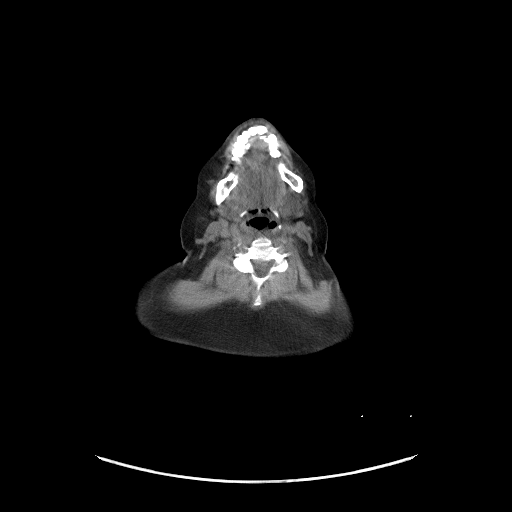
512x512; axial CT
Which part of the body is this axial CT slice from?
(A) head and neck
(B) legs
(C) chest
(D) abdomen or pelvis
(A) head and neck
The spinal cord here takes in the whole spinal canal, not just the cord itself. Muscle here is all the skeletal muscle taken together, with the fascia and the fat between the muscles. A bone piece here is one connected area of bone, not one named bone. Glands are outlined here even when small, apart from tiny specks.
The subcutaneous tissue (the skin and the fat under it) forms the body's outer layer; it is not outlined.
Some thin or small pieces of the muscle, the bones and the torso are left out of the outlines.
The head and neck is outlined by 251,117 263,117 270,121 308,164 316,183 315,200 327,222 326,258 337,275 338,302 327,336 320,347 311,355 246,357 220,354 205,348 176,276 177,261 185,256 180,241 180,224 196,194 198,171 229,132 with a hole at 255,208 268,208 277,218 279,218 277,221 277,228 274,230 272,230 271,232 266,232 265,231 259,233 252,232 248,230 246,228 244,222 242,220 243,219 242,217 247,213 248,211 247,210 250,210. The torso appears in 2 outlined pieces: piece 1: 176,261 175,264 175,276 184,297 184,299 187,304 203,346 205,349 213,352 204,351 181,345 177,345 156,339 143,331 139,327 134,318 134,316 132,313 131,305 132,304 134,293 139,282 145,277; piece 2: 338,277 340,280 340,283 342,287 350,299 355,310 356,316 357,317 357,321 358,322 358,329 355,335 354,335 349,341 346,342 344,344 314,354 321,347 328,336 332,328 337,313 338,303 339,302 339,280. The muscle is outlined by 257,121 269,126 277,134 304,176 307,183 309,213 317,232 313,247 315,261 317,268 326,279 331,280 341,297 342,305 340,309 324,316 312,316 286,302 272,302 259,310 252,310 243,304 230,302 201,312 184,314 169,311 157,302 150,301 152,294 160,292 172,280 187,276 192,269 197,255 194,224 206,203 208,191 206,181 233,135 243,126 with holes at 262,235 270,238 275,246 282,244 283,250 290,255 286,257 287,269 283,272 274,272 272,277 261,286 261,305 253,306 256,294 255,285 248,273 239,272 232,266 236,252 233,247 239,242 248,246 255,238 and at 257,124 266,126 270,132 275,134 277,137 279,144 278,148 281,155 278,158 272,157 269,153 267,145 262,140 256,138 241,157 240,162 235,162 231,159 232,153 230,144 235,140 236,135 238,135 248,127 and at 255,208 268,208 269,209 273,208 275,209 278,213 278,217 279,218 277,221 277,228 274,230 272,230 271,232 266,232 265,231 259,233 252,232 248,230 242,220 243,219 240,216 240,213 244,210 250,210 and at 230,171 233,171 238,174 238,181 237,182 236,185 230,191 229,194 223,200 223,201 219,205 217,205 215,203 215,194 216,193 216,184 217,183 217,182 220,179 221,179 222,178 225,177 228,174 228,173 and at 280,160 281,160 284,163 284,164 291,171 297,174 302,179 303,181 303,189 301,191 301,192 299,193 293,190 290,187 290,186 281,178 280,176 280,174 277,169 277,163 and at 289,199 295,199 296,200 296,201 299,204 299,208 298,209 297,209 295,211 293,211 290,214 286,214 285,213 285,212 282,209 282,207 284,205 283,204 283,203 285,201 286,201 287,200 288,200. The bones appear in 4 outlined pieces: piece 1: 262,235 270,238 275,246 282,244 283,250 290,255 286,257 287,269 283,272 274,272 272,277 261,286 261,305 253,306 256,294 255,285 248,273 239,272 232,266 236,252 233,247 239,242 248,246 255,238 with a hole at 254,260 261,260 262,261 272,261 273,263 270,266 267,272 264,275 262,276 259,276 256,274 255,272 255,270 254,269 254,266 252,262 252,261; piece 2: 257,124 266,126 270,132 275,134 277,137 279,144 278,148 281,155 278,158 272,157 269,153 267,145 262,140 256,138 241,157 240,162 235,162 231,159 232,153 230,144 235,140 236,135 238,135 248,127; piece 3: 230,171 233,171 238,174 238,181 237,182 236,185 230,191 229,194 223,200 223,201 219,205 217,205 215,203 215,194 216,193 216,184 217,183 217,182 220,179 221,179 222,178 225,177 228,174 228,173; piece 4: 280,160 281,160 284,163 284,164 291,171 297,174 302,179 303,181 303,189 301,191 301,192 299,193 293,190 290,187 290,186 281,178 280,176 280,174 277,169 277,163. The submandibular glands appear in 2 outlined pieces: piece 1: 289,199 295,199 296,200 296,201 299,204 299,208 298,209 297,209 295,211 293,211 290,214 286,214 285,213 285,212 282,209 282,207 284,205 283,204 283,203 285,201 286,201 287,200 288,200; piece 2: 214,208 215,208 216,209 216,210 216,211 215,212 214,213 214,214 213,215 212,215 211,215 210,214 210,213 210,212 210,211 210,210 211,209 212,209 213,209. The spinal cord is outlined by 254,260 261,260 262,261 272,261 273,263 270,266 267,272 264,275 262,276 259,276 256,274 255,272 255,270 254,269 254,266 252,262 252,261.